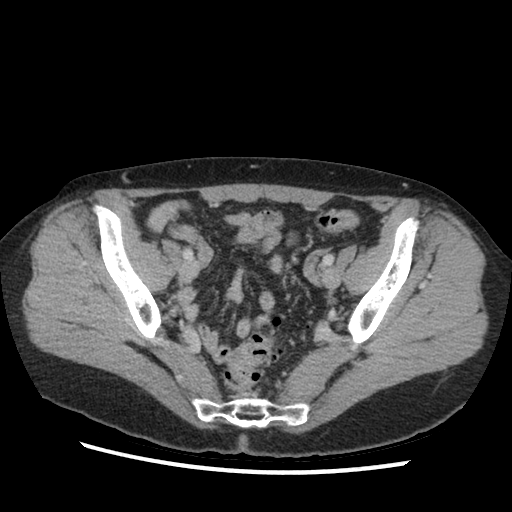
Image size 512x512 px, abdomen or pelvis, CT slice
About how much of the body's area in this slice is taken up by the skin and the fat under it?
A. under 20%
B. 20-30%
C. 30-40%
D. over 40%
B. 20-30%
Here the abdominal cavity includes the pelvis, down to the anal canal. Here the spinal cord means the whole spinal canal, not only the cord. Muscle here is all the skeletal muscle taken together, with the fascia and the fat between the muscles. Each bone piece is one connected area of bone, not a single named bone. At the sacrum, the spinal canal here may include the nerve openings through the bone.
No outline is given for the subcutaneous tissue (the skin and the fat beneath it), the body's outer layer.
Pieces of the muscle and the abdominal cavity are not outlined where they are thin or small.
The bones appear in 3 outlined pieces: piece 1: 96,203 110,209 120,218 122,226 121,233 122,240 126,255 134,271 147,286 159,308 162,320 160,326 156,330 154,342 144,337 139,331 127,307 122,293 106,269 100,249 100,235 97,216 92,210 93,205; piece 2: 411,216 419,220 419,225 412,248 412,261 408,275 404,283 389,304 383,318 376,329 366,340 359,343 354,348 352,337 347,330 348,320 361,297 376,281 389,260 394,245 394,233 396,228 402,221; piece 3: 255,395 267,398 278,404 307,402 310,405 307,420 296,426 287,425 283,420 272,420 263,428 254,425 243,428 228,422 222,416 216,416 212,421 205,422 199,419 191,402 191,399 195,397 208,398 219,402 with a hole at 238,414 240,414 241,415 250,415 251,416 261,416 259,418 245,418 244,417 243,418 241,418 240,417 239,417 238,416. The abdominal cavity is outlined by 184,192 207,200 265,198 311,206 341,196 379,212 376,244 357,242 337,254 339,277 357,301 343,334 295,365 271,400 225,393 162,319 155,299 177,272 182,248 167,238 144,240 133,209 146,198. The torso is outlined by 207,156 308,158 369,167 428,183 466,208 511,258 511,272 505,313 494,349 463,406 433,428 389,445 351,453 273,457 242,452 190,453 162,447 43,398 23,363 8,321 0,273 0,239 22,217 75,177. The spinal cord is outlined by 238,414 240,414 241,415 250,415 251,416 261,416 259,418 245,418 244,417 243,418 241,418 240,417 239,417 238,416. The muscle is outlined by 232,183 448,205 488,250 483,346 446,370 382,389 311,430 267,427 308,420 307,401 272,401 295,366 346,329 354,349 377,329 409,275 420,220 411,215 398,224 388,260 358,301 340,277 338,254 357,243 377,244 380,212 368,202 341,195 318,205 265,197 244,202 184,191 146,197 132,209 144,241 167,239 181,248 176,272 155,298 127,255 122,220 113,210 96,202 91,207 99,249 141,335 154,343 163,320 169,335 231,396 192,397 198,419 222,417 233,425 200,429 116,374 37,348 28,339 21,300 32,276 30,245 58,204 101,188.